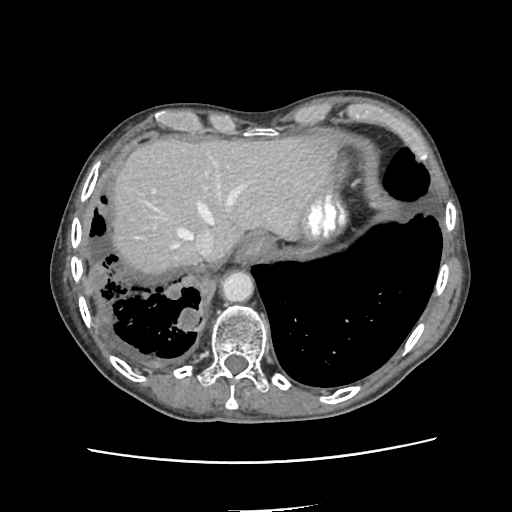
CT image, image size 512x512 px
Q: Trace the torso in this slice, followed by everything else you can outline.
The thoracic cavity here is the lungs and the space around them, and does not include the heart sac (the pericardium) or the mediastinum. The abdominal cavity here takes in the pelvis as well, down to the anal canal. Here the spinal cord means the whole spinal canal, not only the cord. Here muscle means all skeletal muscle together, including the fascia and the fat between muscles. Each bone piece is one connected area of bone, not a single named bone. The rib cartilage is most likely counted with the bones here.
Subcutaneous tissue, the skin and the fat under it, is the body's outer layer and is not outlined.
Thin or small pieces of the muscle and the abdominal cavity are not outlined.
A: Outlined structures:
torso: (229, 423) (321, 419) (369, 404) (430, 357) (456, 327) (471, 281) (460, 201) (433, 137) (421, 120) (399, 101) (365, 89) (335, 89) (262, 111) (202, 102) (158, 104) (118, 123) (85, 160) (65, 205) (49, 264) (50, 289) (64, 325) (96, 369) (142, 403) (184, 421)
thoracic cavity 1: (317, 395) (355, 384) (383, 365) (403, 344) (433, 290) (442, 248) (441, 209) (428, 171) (415, 161) (407, 147) (394, 155) (384, 175) (384, 185) (401, 211) (399, 224) (373, 228) (343, 254) (307, 263) (257, 264) (251, 269) (271, 323) (270, 349) (278, 368) (294, 385)
thoracic cavity 2: (144, 368) (174, 368) (187, 363) (195, 355) (211, 314) (219, 272) (214, 272) (206, 266) (196, 266) (158, 275) (141, 270) (119, 257) (112, 245) (112, 184) (115, 173) (124, 160) (122, 157) (110, 172) (90, 229) (86, 261) (88, 297) (91, 312) (111, 346) (128, 360)
muscle 1: (274, 418) (331, 411) (372, 393) (423, 354) (440, 338) (459, 301) (463, 271) (459, 217) (455, 199) (431, 147) (420, 130) (405, 114) (383, 101) (355, 95) (321, 97) (303, 103) (282, 116) (258, 123) (212, 109) (189, 107) (164, 109) (169, 111) (186, 110) (196, 113) (204, 122) (207, 131) (217, 131) (212, 129) (206, 120) (210, 113) (226, 113) (237, 124) (241, 134) (244, 130) (254, 126) (272, 126) (280, 131) (284, 127) (296, 123) (293, 121) (293, 115) (298, 110) (326, 101) (331, 103) (333, 107) (325, 119) (332, 119) (335, 122) (371, 122) (385, 127) (399, 137) (379, 122) (352, 122) (345, 115) (338, 114) (349, 103) (367, 102) (384, 108) (410, 125) (419, 134) (428, 151) (426, 167) (442, 209) (443, 248) (440, 264) (447, 262) (450, 266) (450, 274) (443, 292) (437, 296) (433, 291) (418, 321) (425, 323) (422, 335) (404, 357) (399, 356) (402, 345) (383, 366) (360, 380) (357, 383) (363, 387) (357, 394) (333, 405) (322, 404) (315, 394) (303, 391) (293, 385) (283, 391) (270, 384) (268, 391) (262, 393) (251, 380) (241, 379) (236, 383) (235, 388) (238, 410); inner edge: (448, 231) (451, 231) (453, 229) (454, 227) (454, 224) (455, 223) (455, 215) (456, 214) (456, 210) (455, 209) (455, 206) (453, 203) (453, 201) (452, 199) (449, 199) (447, 201) (446, 203) (446, 206) (445, 207) (445, 226) (446, 227) (446, 229)
muscle 2: (189, 415) (227, 410) (224, 403) (229, 395) (230, 381) (219, 377) (213, 384) (204, 387) (196, 377) (212, 360) (209, 351) (211, 325) (208, 320) (199, 350) (188, 363) (194, 366) (193, 374) (177, 379) (171, 374) (173, 368) (144, 369) (112, 348) (90, 312) (87, 297) (86, 243) (95, 207) (114, 164) (142, 139) (169, 128) (154, 120) (154, 112) (124, 129) (94, 158) (83, 177) (68, 219) (63, 286) (70, 313) (79, 332) (106, 367) (158, 402); inner edges: (135, 382) (144, 382) (147, 380) (146, 377) (140, 374) (138, 372) (136, 372) (134, 371) (132, 369) (132, 368) (125, 361) (124, 361) (119, 357) (113, 354) (110, 354) (108, 355) (108, 358) (110, 362) (112, 364) (112, 365) (124, 376) (130, 379) (132, 381) (134, 381), then (82, 202) (84, 202) (87, 200) (93, 191) (93, 189) (95, 186) (96, 180) (98, 177) (98, 171) (101, 164) (101, 159) (98, 159) (94, 163) (92, 166) (91, 170) (88, 174) (88, 176) (85, 181) (85, 183) (83, 186) (82, 192) (81, 193) (81, 201), then (74, 249) (76, 249) (77, 248) (77, 247) (79, 245) (79, 244) (80, 243) (80, 240) (81, 239) (81, 224) (80, 223) (80, 221) (79, 220) (78, 217) (75, 215) (73, 217) (73, 219) (72, 220) (72, 223) (71, 224) (71, 241) (72, 242) (72, 247), then (88, 328) (89, 328) (92, 325) (92, 320) (91, 319) (91, 316) (90, 315) (90, 313) (88, 309) (88, 306) (86, 303) (85, 298) (83, 296) (83, 295) (80, 294) (78, 296) (78, 306) (79, 307) (79, 310) (80, 311) (81, 316) (83, 319) (83, 321) (85, 325), then (77, 283) (79, 281) (79, 280) (82, 275) (82, 272) (83, 271) (83, 267) (82, 266) (82, 263) (81, 262) (81, 259) (80, 259) (75, 254) (74, 254) (71, 257) (71, 271) (72, 272) (72, 275) (74, 278) (74, 280) (75, 281) (75, 282) (76, 282)
muscle 3: (268, 377) (269, 377) (272, 372) (275, 370) (278, 370) (280, 372) (281, 372) (277, 368) (273, 360) (273, 358) (271, 355) (271, 353) (269, 349) (270, 348) (270, 323) (270, 324) (267, 327) (268, 341) (267, 342) (266, 348) (264, 352) (264, 357) (261, 362) (262, 367)
mediastinum 1: (266, 327) (269, 324) (269, 321) (255, 280) (250, 271) (251, 267) (257, 262) (252, 262) (251, 260) (243, 256) (236, 256) (219, 271) (220, 275) (213, 301) (213, 310) (209, 321) (211, 324) (219, 312) (227, 306) (232, 304) (241, 304) (250, 306) (255, 309) (266, 323)
mediastinum 2: (383, 183) (383, 175) (385, 169) (391, 158) (401, 147) (405, 146) (400, 138) (396, 135) (391, 133) (385, 128) (377, 126) (371, 123) (336, 123) (339, 126) (344, 127) (354, 132) (363, 134) (377, 142) (379, 147) (381, 149) (381, 152) (382, 153) (381, 155) (380, 175)
bones 1: (227, 409) (238, 407) (234, 388) (241, 378) (251, 379) (262, 392) (270, 383) (283, 390) (292, 386) (278, 371) (266, 376) (260, 364) (267, 341) (265, 323) (255, 310) (241, 305) (227, 307) (214, 320) (210, 333) (213, 360) (197, 375) (204, 386) (219, 376) (231, 381) with a hole at (234, 374) (235, 374) (236, 373) (238, 373) (240, 371) (241, 371) (243, 369) (244, 369) (247, 366) (247, 362) (246, 361) (246, 360) (243, 357) (242, 357) (241, 356) (238, 356) (237, 355) (231, 355) (230, 356) (229, 356) (225, 360) (225, 365)
bones 2: (425, 165) (425, 160) (427, 158) (428, 154) (423, 142) (418, 134) (406, 123) (393, 116) (384, 109) (367, 103) (355, 103) (347, 105) (339, 112) (340, 115) (345, 114) (352, 121) (376, 120) (384, 125) (386, 125) (400, 136) (406, 146) (414, 154) (416, 161) (421, 162)
bones 3: (200, 132) (206, 131) (206, 129) (203, 122) (199, 116) (194, 113) (187, 112) (186, 111) (181, 111) (180, 112) (169, 112) (165, 110) (160, 110) (157, 111) (154, 114) (154, 118) (157, 122) (161, 123) (163, 125) (167, 126) (170, 128) (178, 129) (179, 130) (199, 131)
bones 4: (300, 124) (313, 123) (316, 121) (319, 121) (320, 120) (324, 119) (326, 117) (328, 113) (331, 110) (331, 108) (332, 107) (331, 104) (327, 103) (326, 102) (325, 103) (322, 103) (321, 104) (311, 105) (308, 107) (303, 108) (301, 110) (298, 111) (294, 115) (294, 121)
bones 5: (327, 404) (333, 404) (334, 403) (337, 403) (353, 396) (361, 389) (362, 387) (361, 385) (357, 384) (356, 385) (350, 385) (349, 386) (346, 386) (342, 388) (339, 388) (330, 394) (328, 394) (327, 395) (321, 395) (319, 396) (318, 397) (319, 401) (322, 403) (326, 403)
bones 6: (227, 134) (237, 134) (238, 133) (238, 131) (236, 127) (236, 124) (230, 118) (230, 117) (226, 114) (224, 114) (223, 115) (220, 115) (219, 114) (215, 114) (214, 113) (212, 113) (210, 114) (208, 116) (207, 118) (207, 120) (210, 124) (211, 127) (222, 133) (226, 133)
bones 7: (135, 382) (144, 382) (147, 380) (146, 377) (140, 374) (138, 372) (136, 372) (134, 371) (132, 369) (132, 368) (125, 361) (124, 361) (119, 357) (113, 354) (110, 354) (108, 355) (108, 358) (110, 362) (112, 364) (112, 365) (124, 376) (130, 379) (132, 381) (134, 381)
bones 8: (82, 202) (84, 202) (87, 200) (93, 191) (93, 189) (95, 186) (96, 180) (98, 177) (98, 171) (101, 164) (101, 159) (98, 159) (94, 163) (92, 166) (91, 170) (88, 174) (88, 176) (85, 181) (85, 183) (83, 186) (82, 192) (81, 193) (81, 201)
bones 9: (400, 356) (404, 356) (412, 348) (412, 347) (417, 341) (417, 340) (419, 338) (419, 337) (421, 335) (423, 331) (423, 329) (424, 328) (424, 323) (422, 322) (419, 322) (412, 330) (410, 334) (407, 337) (403, 345) (403, 348) (400, 353)
bones 10: (437, 295) (439, 295) (442, 292) (447, 282) (447, 279) (448, 278) (448, 275) (449, 274) (449, 266) (447, 263) (443, 263) (441, 264) (439, 268) (439, 271) (438, 272) (437, 279) (436, 280) (436, 282) (434, 286) (434, 289) (436, 291) (436, 294)
bones 11: (448, 231) (451, 231) (453, 229) (454, 227) (454, 224) (455, 223) (455, 215) (456, 214) (456, 210) (455, 209) (455, 206) (453, 203) (453, 201) (452, 199) (449, 199) (447, 201) (446, 203) (446, 206) (445, 207) (445, 226) (446, 227) (446, 229)
bones 12: (244, 136) (253, 136) (254, 135) (265, 135) (266, 136) (274, 136) (275, 135) (278, 135) (279, 134) (279, 131) (277, 129) (275, 129) (272, 127) (254, 127) (253, 128) (250, 128) (249, 129) (248, 129) (247, 130) (244, 131) (242, 133) (242, 135) (243, 135)
bones 13: (74, 249) (76, 249) (77, 248) (77, 247) (79, 245) (79, 244) (80, 243) (80, 240) (81, 239) (81, 224) (80, 223) (80, 221) (79, 220) (78, 217) (75, 215) (73, 217) (73, 219) (72, 220) (72, 223) (71, 224) (71, 241) (72, 242) (72, 247)
bones 14: (88, 328) (89, 328) (92, 325) (92, 320) (91, 319) (91, 316) (90, 315) (90, 313) (88, 309) (88, 306) (86, 303) (85, 298) (83, 296) (83, 295) (80, 294) (78, 296) (78, 306) (79, 307) (79, 310) (80, 311) (81, 316) (83, 319) (83, 321) (85, 325)
bones 15: (77, 283) (79, 281) (79, 280) (82, 275) (82, 272) (83, 271) (83, 267) (82, 266) (82, 263) (81, 262) (81, 259) (80, 259) (75, 254) (74, 254) (71, 257) (71, 271) (72, 272) (72, 275) (74, 278) (74, 280) (75, 281) (75, 282) (76, 282)
bones 16: (177, 378) (180, 378) (184, 376) (189, 376) (191, 375) (192, 374) (192, 370) (193, 369) (193, 366) (192, 365) (189, 365) (188, 364) (186, 364) (183, 366) (181, 366) (180, 367) (178, 367) (177, 368) (175, 368) (173, 369) (172, 371) (172, 374) (175, 377)
spinal cord: (234, 374) (235, 374) (236, 373) (238, 373) (240, 371) (241, 371) (243, 369) (244, 369) (247, 366) (247, 362) (246, 361) (246, 360) (243, 357) (242, 357) (241, 356) (238, 356) (237, 355) (231, 355) (230, 356) (229, 356) (225, 360) (225, 365)
abdominal cavity: (158, 274) (196, 265) (206, 265) (217, 271) (236, 255) (258, 263) (307, 262) (345, 252) (377, 225) (399, 223) (397, 203) (380, 179) (381, 153) (376, 142) (339, 127) (332, 120) (296, 124) (274, 137) (167, 129) (142, 140) (124, 156) (114, 179) (113, 245) (123, 259)